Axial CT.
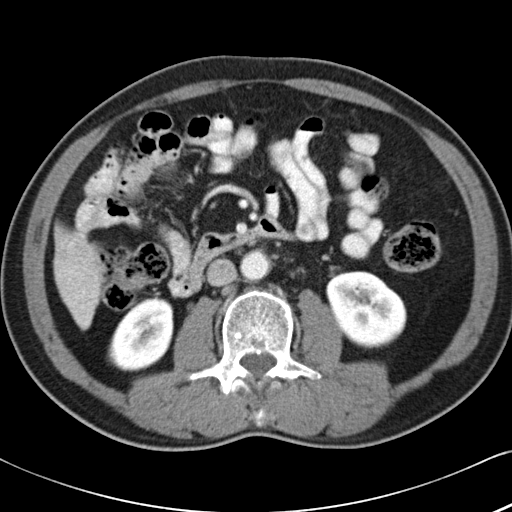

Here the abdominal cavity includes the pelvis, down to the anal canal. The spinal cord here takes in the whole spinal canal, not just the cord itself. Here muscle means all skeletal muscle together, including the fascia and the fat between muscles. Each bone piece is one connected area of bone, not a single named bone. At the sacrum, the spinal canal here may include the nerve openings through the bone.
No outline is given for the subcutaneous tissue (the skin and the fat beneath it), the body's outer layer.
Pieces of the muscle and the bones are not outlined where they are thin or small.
The bones are outlined by 255 288; 270 291; 290 305; 294 322; 290 355; 319 372; 321 377; 268 378; 259 389; 248 380; 248 391; 239 387; 228 394; 220 390; 220 383; 213 376; 188 380; 189 373; 209 367; 221 358; 223 316; 236 296, around a hole outlined by 253 353; 257 355; 259 355; 262 353; 267 353; 271 355; 276 361; 275 362; 275 364; 268 370; 267 370; 261 376; 261 377; 259 378; 256 378; 253 375; 253 374; 249 370; 244 367; 240 362; 240 360; 242 357; 247 354; 252 354. The abdominal cavity is outlined by 260 82; 389 113; 423 139; 470 223; 463 320; 393 384; 383 361; 340 360; 342 334; 310 288; 297 295; 296 347; 291 305; 255 287; 222 316; 222 354; 221 301; 202 295; 170 370; 125 391; 104 383; 48 302; 64 189; 126 116. The muscle is outlined by 255 78; 270 78; 271 79; 316 78; 317 79; 323 79; 341 83; 359 89; 381 99; 422 126; 428 128; 440 137; 447 140; 457 148; 464 156; 478 177; 481 183; 481 186; 486 195; 488 205; 492 214; 495 226; 495 231; 497 235; 497 246; 498 247; 498 277; 497 278; 498 279; 494 302; 484 330; 477 345; 471 353; 457 366; 425 385; 406 394; 379 421; 371 427; 358 433; 340 437; 302 437; 271 427; 263 427; 262 426; 264 424; 263 419; 265 417; 266 413; 262 407; 259 407; 254 414; 256 426; 248 427; 245 429; 217 438; 209 438; 205 436; 199 436; 191 438; 176 438; 160 434; 154 431; 146 430; 134 424; 126 417; 114 410; 103 401; 95 397; 79 385; 60 374; 39 343; 37 335; 33 328; 30 319; 24 291; 23 273; 22 272; 22 256; 23 255; 22 254; 28 219; 40 187; 56 161; 68 146; 77 138; 84 135; 114 116; 131 108; 136 104; 146 99; 151 98; 153 96; 174 88; 203 80; 254 79, around a hole outlined by 260 82; 389 113; 423 139; 470 223; 463 320; 393 384; 383 361; 340 360; 330 309; 304 288; 290 355; 321 377; 224 394; 213 376; 187 379; 222 356; 221 301; 202 295; 170 370; 125 391; 104 383; 48 302; 64 189; 126 116. The torso is outlined by 218 54; 310 57; 363 70; 439 115; 487 170; 511 223; 511 333; 483 382; 437 419; 354 449; 251 436; 208 449; 158 451; 122 443; 80 422; 50 399; 22 365; 3 319; 0 264; 12 215; 31 177; 60 138; 115 92; 168 65. The spinal cord is outlined by 253 353; 257 355; 259 355; 262 353; 267 353; 271 355; 276 361; 275 362; 275 364; 268 370; 267 370; 261 376; 261 377; 259 378; 256 378; 253 375; 253 374; 249 370; 244 367; 240 362; 240 360; 242 357; 247 354; 252 354.